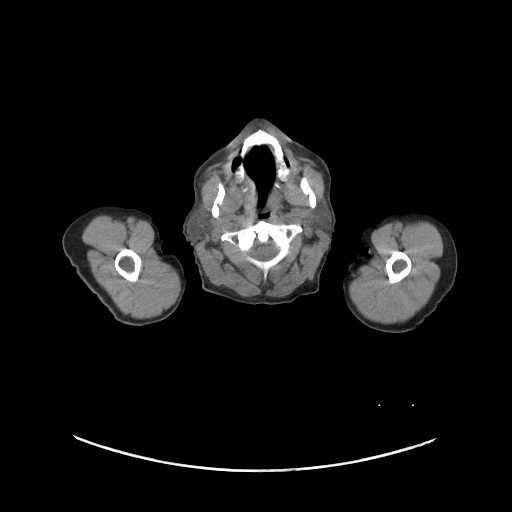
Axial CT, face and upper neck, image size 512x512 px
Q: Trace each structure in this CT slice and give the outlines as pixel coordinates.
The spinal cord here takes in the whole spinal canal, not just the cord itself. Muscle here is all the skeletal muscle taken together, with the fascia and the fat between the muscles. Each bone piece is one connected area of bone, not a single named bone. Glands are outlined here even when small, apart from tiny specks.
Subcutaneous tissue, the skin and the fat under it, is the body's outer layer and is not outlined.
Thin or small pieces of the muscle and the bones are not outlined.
A: {"parotid_glands":[[[200,203],[203,203],[205,205],[205,207],[210,213],[210,216],[213,218],[216,224],[211,229],[210,229],[208,231],[208,232],[202,238],[202,239],[197,244],[196,244],[189,237],[189,236],[187,234],[187,224],[190,218],[190,216],[199,206],[199,204]],[[321,198],[324,198],[325,199],[325,202],[327,204],[327,206],[329,209],[329,211],[330,212],[330,214],[331,215],[331,219],[330,220],[330,230],[328,233],[324,233],[311,221],[311,219],[310,218],[310,213],[311,212],[311,211],[316,207],[318,201]]],"spinal_cord":[[[256,242],[257,242],[259,244],[267,244],[270,242],[272,242],[274,244],[274,245],[278,249],[278,251],[277,252],[277,253],[273,257],[272,257],[268,260],[259,260],[258,259],[255,258],[253,256],[252,256],[250,253],[250,250],[251,249],[251,248]]],"muscle":[{"outer":[[258,126],[268,126],[278,132],[293,150],[314,161],[324,176],[324,194],[317,202],[316,194],[306,176],[301,177],[299,187],[307,195],[308,205],[312,209],[309,213],[310,221],[327,235],[326,248],[313,279],[283,297],[242,297],[216,286],[210,282],[198,255],[198,244],[217,224],[214,218],[219,216],[219,206],[226,194],[223,184],[220,181],[217,183],[210,212],[201,202],[199,183],[202,173],[227,154],[249,129]],"holes":[[[259,128],[271,134],[278,140],[284,153],[285,161],[290,168],[290,173],[286,181],[279,180],[278,187],[274,186],[272,183],[269,186],[265,201],[262,205],[258,204],[257,186],[251,177],[247,174],[245,178],[239,182],[234,175],[240,161],[243,140]],[[262,213],[268,214],[263,219],[267,222],[274,224],[299,224],[302,229],[290,241],[288,253],[269,269],[266,278],[263,277],[263,272],[260,268],[245,259],[245,255],[235,244],[221,239],[222,234],[226,231],[236,231],[250,223],[256,223]]]},{"outer":[[394,220],[410,222],[424,220],[432,223],[438,229],[442,237],[444,250],[440,260],[441,276],[432,296],[426,305],[404,322],[384,324],[372,321],[364,317],[357,310],[350,299],[348,286],[353,278],[353,273],[359,266],[367,261],[371,253],[371,232]],"hole":[[395,250],[404,251],[406,253],[406,254],[409,257],[409,258],[411,261],[411,269],[410,270],[409,273],[405,277],[404,277],[398,282],[396,282],[395,283],[389,283],[388,282],[388,276],[387,275],[387,273],[385,270],[385,264],[386,263],[386,260]]},{"outer":[[100,214],[126,216],[132,215],[147,221],[153,228],[153,247],[162,260],[171,264],[177,270],[181,284],[179,295],[175,302],[159,315],[150,318],[137,319],[123,314],[116,307],[107,293],[94,279],[86,259],[85,246],[81,240],[81,234],[89,221]],"hole":[[122,248],[123,249],[124,248],[129,248],[130,249],[132,249],[139,255],[141,259],[141,267],[140,268],[140,271],[139,272],[137,280],[134,282],[129,281],[124,277],[120,275],[115,268],[115,266],[114,265],[115,257],[118,253],[118,252],[119,252]]}],"right_arm":[[[103,205],[136,208],[149,214],[159,230],[162,239],[162,251],[164,253],[175,254],[182,263],[187,281],[185,292],[176,310],[165,319],[142,326],[128,325],[115,320],[76,274],[75,269],[70,265],[65,256],[61,240],[67,226],[86,211]]],"left_arm":[[[405,212],[429,214],[441,221],[449,230],[457,251],[457,272],[455,281],[451,290],[437,309],[415,329],[401,333],[378,331],[364,325],[349,311],[343,298],[341,286],[342,277],[351,260],[359,253],[363,255],[367,253],[360,241],[361,233],[385,216]]],"head_and_neck":[{"outer":[[255,116],[269,120],[290,138],[304,145],[325,161],[331,176],[330,201],[336,217],[331,248],[320,275],[319,289],[291,302],[274,305],[240,303],[205,291],[201,287],[192,246],[182,233],[183,222],[194,201],[192,183],[196,169],[212,152],[227,144]],"hole":[[259,146],[266,146],[267,147],[270,154],[273,158],[273,165],[274,166],[274,177],[273,178],[273,181],[271,185],[270,185],[267,189],[265,201],[262,205],[258,204],[257,186],[255,182],[248,174],[244,162],[244,160],[252,149],[254,147],[258,147]]}],"bones":[{"outer":[[260,219],[274,224],[282,223],[283,224],[299,224],[302,229],[290,241],[288,253],[269,269],[266,278],[263,277],[263,272],[260,268],[245,259],[245,255],[235,244],[227,240],[221,239],[221,236],[224,232],[236,231],[246,227],[250,223],[254,224]],"hole":[[256,242],[257,242],[259,244],[267,244],[270,242],[272,242],[274,244],[274,245],[278,249],[278,251],[277,252],[277,253],[273,257],[272,257],[268,260],[259,260],[258,259],[255,258],[253,256],[252,256],[250,253],[250,250],[251,249],[251,248]]},[[259,128],[271,134],[278,140],[284,153],[285,161],[290,168],[290,173],[287,180],[279,180],[278,187],[273,185],[275,179],[274,158],[266,145],[254,146],[247,154],[243,160],[247,174],[242,181],[239,182],[234,175],[240,161],[240,152],[243,140]],[[122,248],[123,249],[124,248],[129,248],[130,249],[132,249],[139,255],[141,259],[141,267],[140,268],[140,271],[139,272],[137,280],[134,282],[129,281],[124,277],[120,275],[115,268],[115,266],[114,265],[115,257],[118,253],[118,252],[119,252]],[[395,250],[404,251],[406,253],[406,254],[409,257],[409,258],[411,261],[411,269],[410,270],[409,273],[405,277],[404,277],[398,282],[396,282],[395,283],[389,283],[388,282],[388,276],[387,275],[387,273],[385,270],[385,264],[386,263],[386,260]],[[219,182],[220,182],[222,184],[225,190],[225,194],[223,197],[222,202],[218,206],[219,208],[219,214],[218,216],[216,218],[215,218],[213,217],[211,214],[211,208],[212,207],[212,205],[213,204],[214,199],[218,191],[218,183]],[[304,176],[306,177],[307,179],[307,181],[310,187],[313,190],[315,194],[315,197],[316,198],[316,205],[314,208],[312,208],[309,205],[309,197],[307,194],[305,194],[303,192],[302,189],[300,187],[300,181],[302,177]]]}